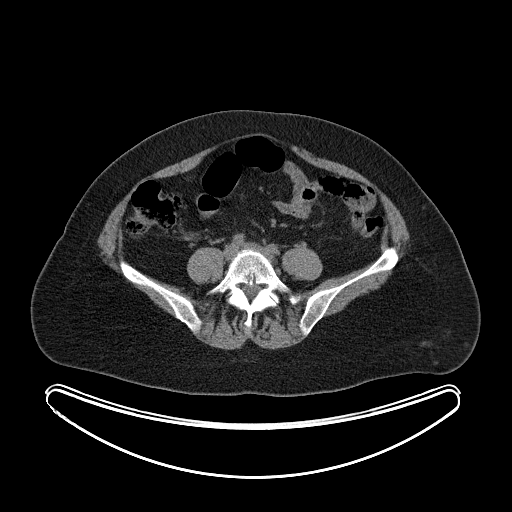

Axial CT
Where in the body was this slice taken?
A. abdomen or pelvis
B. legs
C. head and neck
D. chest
A. abdomen or pelvis
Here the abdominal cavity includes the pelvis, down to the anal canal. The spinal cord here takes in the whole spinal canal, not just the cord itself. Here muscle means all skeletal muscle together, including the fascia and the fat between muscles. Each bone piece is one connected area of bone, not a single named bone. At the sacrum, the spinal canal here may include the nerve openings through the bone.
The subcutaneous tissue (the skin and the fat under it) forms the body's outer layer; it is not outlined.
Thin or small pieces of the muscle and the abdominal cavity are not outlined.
{"torso":[[[233,109],[298,113],[338,123],[371,138],[406,168],[452,228],[477,290],[479,336],[472,354],[460,367],[445,374],[403,374],[339,391],[300,396],[193,395],[60,365],[41,352],[30,323],[32,289],[70,214],[92,181],[122,153],[153,133],[194,116]]],"spinal_cord":[[[240,283],[241,283],[243,285],[249,285],[250,286],[252,286],[253,285],[259,285],[260,284],[264,284],[265,286],[264,287],[260,288],[258,290],[257,293],[253,298],[249,299],[245,294],[243,288],[242,287],[238,287],[237,286],[237,285]]],"bones":[{"outer":[[243,248],[252,248],[267,257],[277,276],[290,289],[288,292],[278,293],[279,302],[274,307],[268,307],[262,311],[255,311],[251,316],[251,326],[249,328],[244,324],[247,318],[247,312],[229,304],[226,301],[227,292],[206,293],[224,277],[228,264]],"hole":[[240,283],[241,283],[243,285],[249,285],[250,286],[252,286],[253,285],[259,285],[260,284],[264,284],[265,286],[264,287],[260,288],[258,290],[257,293],[253,298],[249,299],[245,294],[243,288],[242,287],[238,287],[237,286],[237,285]]},[[390,246],[393,246],[398,254],[398,261],[396,265],[391,269],[370,274],[345,286],[333,298],[324,315],[315,324],[310,332],[306,336],[304,336],[300,330],[299,322],[304,311],[308,297],[319,290],[340,285],[347,280],[360,274],[367,269],[387,247]],[[121,259],[125,260],[130,265],[154,282],[161,285],[166,289],[184,296],[190,300],[197,315],[202,322],[200,329],[195,333],[183,322],[177,319],[174,315],[173,309],[162,296],[155,290],[150,287],[134,283],[127,279],[123,275],[119,265],[119,261]],[[290,294],[299,294],[301,296],[301,299],[297,303],[296,303],[295,304],[291,304],[289,302],[289,301],[288,300],[288,297],[289,296],[289,295]]],"muscle":[{"outer":[[370,264],[340,284],[319,289],[308,296],[298,322],[301,334],[306,337],[294,345],[277,349],[262,348],[249,340],[237,349],[217,348],[200,341],[178,323],[178,320],[180,321],[195,334],[201,329],[203,322],[191,300],[147,276],[181,288],[185,292],[191,292],[194,296],[227,293],[225,301],[246,312],[243,324],[249,329],[252,326],[253,314],[274,308],[280,302],[279,293],[310,290],[328,278],[339,277]],"hole":[[290,294],[299,294],[301,296],[301,299],[297,303],[296,303],[295,304],[291,304],[289,302],[289,301],[288,300],[288,297],[289,296],[289,295]]},[[257,132],[269,134],[280,140],[296,145],[318,157],[341,163],[373,182],[392,201],[405,221],[410,236],[410,244],[407,247],[406,253],[399,261],[399,254],[393,245],[387,246],[381,252],[381,238],[386,225],[386,215],[378,193],[371,185],[361,180],[313,165],[297,155],[286,145],[265,135],[252,134],[240,137],[211,151],[197,165],[189,170],[169,176],[145,179],[133,189],[127,201],[120,221],[122,249],[125,259],[121,258],[118,261],[120,271],[130,282],[150,288],[160,295],[172,309],[174,317],[153,303],[147,295],[134,287],[103,262],[99,255],[100,249],[97,245],[98,236],[110,212],[116,204],[135,183],[143,177],[166,166],[179,162],[224,140],[235,136]],[[202,247],[213,247],[214,248],[217,248],[222,252],[222,254],[223,255],[223,275],[222,276],[222,278],[215,283],[203,283],[202,284],[198,284],[196,283],[189,276],[187,272],[187,269],[186,267],[187,266],[187,263],[190,256],[196,250]],[[392,269],[393,269],[392,273],[388,277],[387,280],[379,288],[371,290],[368,293],[356,297],[339,312],[327,316],[323,320],[321,325],[317,329],[308,335],[316,324],[325,315],[330,304],[334,298],[345,287],[370,275],[376,274],[380,272],[388,271]],[[292,248],[309,248],[313,250],[317,254],[322,264],[322,270],[321,271],[321,273],[315,279],[313,279],[312,280],[297,280],[296,279],[293,279],[292,276],[288,274],[283,269],[283,267],[282,266],[282,256],[283,254],[286,251]]],"abdominal_cavity":[{"outer":[[252,135],[286,146],[313,166],[371,186],[385,215],[378,257],[310,289],[296,290],[257,249],[241,248],[224,275],[223,252],[202,246],[189,256],[186,272],[198,285],[218,283],[197,295],[130,264],[121,221],[134,189],[148,179],[189,171],[221,146]],"hole":[[292,248],[309,248],[313,250],[317,254],[322,264],[322,270],[321,271],[321,273],[315,279],[313,279],[312,280],[297,280],[296,279],[293,279],[292,276],[288,274],[283,269],[283,267],[282,266],[282,256],[283,254],[286,251]]}]}